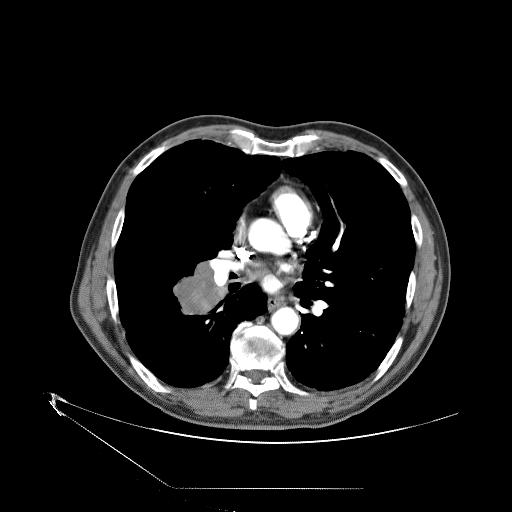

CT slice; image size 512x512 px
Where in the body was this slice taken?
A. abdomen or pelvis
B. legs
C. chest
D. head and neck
C. chest
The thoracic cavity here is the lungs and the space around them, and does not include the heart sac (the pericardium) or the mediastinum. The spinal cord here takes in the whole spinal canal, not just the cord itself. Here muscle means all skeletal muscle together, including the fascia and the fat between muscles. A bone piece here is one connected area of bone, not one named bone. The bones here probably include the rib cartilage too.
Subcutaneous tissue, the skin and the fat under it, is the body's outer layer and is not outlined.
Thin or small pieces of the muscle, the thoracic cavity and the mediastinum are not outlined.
pericardium: (281, 174) (301, 184) (307, 190) (319, 206) (321, 224) (315, 239) (308, 246) (304, 254) (306, 259) (303, 264) (300, 279) (282, 291) (271, 294) (265, 291) (256, 281) (246, 280) (244, 275) (236, 270) (236, 265) (230, 251) (233, 245) (233, 232) (246, 204) (256, 198)
bones 1: (243, 321) (266, 326) (285, 344) (283, 358) (285, 371) (291, 381) (309, 392) (309, 395) (288, 392) (282, 387) (267, 390) (255, 397) (257, 405) (256, 409) (252, 410) (249, 407) (249, 400) (252, 397) (249, 391) (243, 388) (226, 390) (223, 387) (230, 368) (232, 333) with a hole at (250, 370) (262, 370) (263, 371) (265, 371) (266, 372) (266, 374) (265, 375) (265, 376) (264, 377) (263, 377) (260, 380) (260, 381) (259, 382) (258, 382) (257, 383) (254, 383) (253, 382) (252, 382) (252, 380) (249, 377) (248, 377) (246, 374) (247, 371) (249, 371)
bones 2: (232, 128) (240, 128) (250, 131) (256, 136) (274, 143) (283, 142) (296, 135) (305, 135) (311, 133) (319, 135) (321, 139) (317, 142) (318, 145) (313, 147) (309, 152) (299, 156) (278, 156) (261, 153) (250, 154) (244, 152) (236, 146) (232, 140) (229, 139) (228, 131)
bones 3: (128, 352) (134, 355) (140, 361) (140, 362) (147, 369) (148, 369) (164, 385) (167, 385) (171, 387) (172, 388) (172, 391) (170, 393) (164, 393) (163, 392) (158, 392) (152, 389) (141, 378) (141, 377) (137, 373) (135, 369) (130, 363) (130, 361) (127, 356) (127, 353)
bones 4: (397, 336) (402, 336) (403, 337) (403, 341) (402, 342) (401, 347) (397, 355) (395, 357) (391, 365) (387, 369) (387, 370) (377, 380) (376, 380) (372, 383) (371, 381) (374, 376) (374, 372) (376, 370) (380, 363) (383, 360) (386, 354) (394, 343) (396, 339) (396, 337)
bones 5: (108, 275) (112, 275) (114, 277) (115, 287) (116, 288) (116, 294) (117, 295) (117, 303) (118, 304) (118, 318) (119, 319) (119, 322) (118, 323) (115, 323) (114, 322) (109, 308) (108, 298) (107, 297) (107, 291) (106, 290) (106, 282) (107, 281) (107, 277)
bones 6: (163, 143) (168, 143) (169, 144) (171, 144) (172, 146) (165, 151) (164, 151) (162, 153) (161, 153) (157, 157) (156, 157) (142, 171) (141, 171) (135, 177) (134, 177) (132, 175) (132, 173) (131, 172) (132, 169) (148, 152) (149, 152) (152, 149) (161, 145)
bones 7: (378, 156) (382, 156) (383, 157) (385, 157) (387, 159) (388, 159) (403, 174) (404, 177) (407, 181) (407, 185) (406, 186) (406, 187) (405, 187) (404, 188) (402, 188) (397, 182) (397, 181) (392, 176) (392, 175) (379, 162) (378, 162) (376, 160) (376, 157) (377, 157)
bones 8: (123, 206) (124, 206) (124, 218) (123, 219) (123, 224) (121, 228) (121, 231) (120, 232) (119, 237) (115, 245) (115, 247) (114, 248) (112, 248) (111, 247) (111, 235) (112, 234) (113, 225) (114, 224) (115, 218) (117, 215) (118, 211) (120, 209) (120, 208)
bones 9: (411, 213) (414, 213) (416, 215) (416, 216) (418, 218) (418, 220) (421, 226) (421, 229) (422, 230) (422, 240) (421, 241) (421, 245) (420, 247) (417, 247) (415, 243) (415, 240) (414, 239) (414, 236) (413, 235) (413, 232) (412, 231) (412, 226) (411, 225)
bones 10: (412, 270) (414, 271) (414, 273) (415, 274) (415, 289) (414, 290) (413, 297) (411, 301) (411, 304) (408, 310) (405, 310) (405, 303) (406, 302) (406, 290) (407, 289) (407, 285) (408, 284) (408, 281) (409, 280) (409, 276)
spinal cord: (250, 370) (262, 370) (263, 371) (265, 371) (266, 372) (266, 374) (265, 375) (265, 376) (264, 377) (263, 377) (260, 380) (260, 381) (259, 382) (258, 382) (257, 383) (254, 383) (253, 382) (252, 382) (252, 380) (249, 377) (248, 377) (246, 374) (247, 371) (249, 371)
thoracic cavity: (205, 138) (282, 162) (357, 151) (401, 188) (415, 244) (404, 314) (363, 380) (318, 390) (286, 371) (302, 324) (293, 288) (323, 215) (283, 167) (232, 232) (240, 285) (256, 284) (266, 310) (232, 331) (228, 371) (178, 387) (134, 354) (114, 276) (126, 198) (161, 154)
torso: (200, 114) (229, 115) (273, 126) (316, 120) (350, 123) (389, 143) (427, 187) (449, 247) (451, 278) (446, 309) (413, 372) (363, 412) (323, 428) (281, 431) (222, 429) (181, 421) (151, 406) (128, 388) (74, 323) (69, 295) (81, 243) (112, 173) (150, 135) (174, 121)
muscle 1: (141, 157) (130, 171) (134, 179) (112, 225) (113, 275) (107, 275) (105, 290) (111, 318) (115, 324) (120, 321) (133, 353) (126, 353) (129, 363) (152, 390) (170, 394) (170, 386) (194, 388) (227, 372) (222, 387) (249, 392) (248, 407) (254, 411) (256, 397) (267, 391) (282, 388) (309, 396) (311, 393) (295, 382) (318, 391) (333, 391) (355, 385) (373, 373) (370, 382) (377, 381) (392, 365) (404, 341) (397, 335) (414, 297) (415, 252) (423, 240) (419, 218) (411, 212) (402, 189) (408, 185) (404, 174) (430, 223) (443, 276) (436, 313) (416, 352) (377, 391) (332, 414) (310, 413) (298, 418) (284, 418) (274, 412) (204, 416) (149, 393) (104, 349) (83, 319) (77, 302) (87, 259) (97, 247) (111, 203) (128, 170)
muscle 2: (307, 129) (327, 130) (350, 136) (378, 149) (387, 158) (385, 156) (378, 155) (374, 159) (363, 152) (353, 149) (343, 149) (335, 147) (324, 148) (323, 149) (323, 147) (318, 144) (318, 142) (322, 139) (322, 137) (319, 134) (315, 132) (311, 132) (305, 134) (298, 134)
muscle 3: (210, 124) (236, 124) (252, 130) (257, 135) (250, 130) (247, 130) (240, 127) (232, 127) (227, 131) (228, 139) (227, 138) (215, 139) (208, 137) (204, 138) (192, 138) (173, 146) (171, 143) (168, 142) (163, 142) (158, 145) (166, 139) (189, 128) (197, 126) (209, 125)
mediastinum 1: (238, 273) (242, 274) (246, 281) (256, 282) (265, 292) (271, 295) (278, 294) (294, 284) (292, 291) (297, 298) (299, 309) (301, 312) (301, 324) (299, 330) (286, 343) (266, 325) (255, 323) (252, 321) (267, 310) (267, 296) (256, 283) (251, 282) (241, 285) (242, 284)
mediastinum 2: (282, 168) (283, 168) (283, 169) (289, 175) (293, 176) (294, 177) (296, 177) (300, 180) (301, 180) (310, 189) (310, 191) (315, 199) (314, 199) (314, 198) (312, 197) (308, 190) (301, 183) (286, 176) (283, 173) (281, 173) (280, 174) (281, 172) (281, 169)